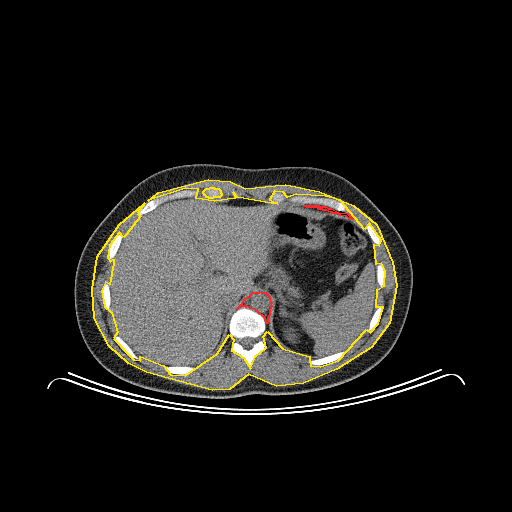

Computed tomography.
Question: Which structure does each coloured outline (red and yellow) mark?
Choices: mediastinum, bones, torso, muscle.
Answer: red: mediastinum; yellow: muscle.
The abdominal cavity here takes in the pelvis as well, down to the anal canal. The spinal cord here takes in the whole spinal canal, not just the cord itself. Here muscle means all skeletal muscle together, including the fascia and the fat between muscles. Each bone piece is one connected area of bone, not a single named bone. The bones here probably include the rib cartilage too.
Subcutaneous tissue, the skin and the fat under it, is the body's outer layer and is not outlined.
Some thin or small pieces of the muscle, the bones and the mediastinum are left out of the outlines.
The mediastinum appears in 2 outlined pieces: piece 1: 260,291 261,292 265,292 269,296 269,299 271,303 270,304 271,305 269,310 269,315 267,318 267,323 266,323 265,318 257,311 246,306 241,306 237,308 242,303 244,299 251,294 252,292 259,292; piece 2: 304,205 318,205 319,206 325,206 328,208 331,208 338,212 347,213 352,218 349,218 346,216 340,215 337,213 333,213 332,212 330,212 326,210 323,210 322,209 319,209 318,208 307,207 306,206 304,206. The muscle is outlined by 208,179 230,181 245,188 285,184 319,191 353,205 376,224 392,262 396,285 389,323 371,347 336,369 303,383 276,386 248,374 229,389 212,390 146,372 128,363 109,346 94,318 92,289 97,256 119,224 144,203 137,213 140,216 125,235 123,237 119,232 109,245 107,257 110,261 113,259 113,263 109,284 105,282 101,290 104,306 111,312 117,332 113,338 133,359 140,360 140,356 163,365 170,374 185,375 217,353 229,334 233,339 231,350 243,357 250,368 255,356 266,347 263,336 267,331 282,348 309,356 310,365 320,366 338,360 366,329 370,332 378,323 383,307 376,307 377,289 384,285 385,270 381,263 376,264 374,244 379,245 381,240 369,223 364,229 340,200 325,196 296,194 287,197 283,192 274,191 269,199 277,203 271,203 237,197 233,192 234,198 214,201 196,198 198,189 185,188 148,200 158,192, around a hole outlined by 210,187 213,187 214,188 218,188 220,190 220,192 221,193 221,195 219,197 213,197 212,198 209,198 208,197 206,197 206,196 205,195 204,195 204,194 203,193 203,191 206,188 209,188. The bones appear in 12 outlined pieces: piece 1: 241,307 249,308 260,314 264,318 266,324 266,330 262,336 262,339 265,344 265,347 254,356 252,359 250,367 248,367 246,359 239,353 233,351 231,348 231,345 234,339 229,333 229,322 232,314 237,309; inner edge: 245,337 251,337 252,338 254,338 256,340 255,341 255,342 251,346 251,347 250,348 245,348 240,343 240,340 242,338 244,338; piece 2: 274,192 283,193 287,198 290,196 298,195 307,197 325,197 326,198 335,199 340,201 346,207 347,212 338,211 331,207 318,204 298,204 297,203 288,202 287,200 279,203 274,202 270,199 270,195; piece 3: 185,189 187,190 198,190 199,192 196,197 192,196 191,197 178,197 174,199 169,199 166,201 164,201 151,211 149,211 142,215 138,214 139,211 146,202 152,199 158,198 163,195 168,195 174,192; piece 4: 344,350 345,351 345,353 338,359 334,361 332,361 325,364 321,364 320,365 313,365 312,364 310,364 308,362 308,360 310,359 317,359 318,358 321,358 322,357 328,356 329,355 331,355 337,352 343,351; piece 5: 164,366 192,366 193,367 194,367 194,369 192,371 191,371 190,372 189,372 188,373 186,373 185,374 176,374 175,373 170,373 169,372 168,372 167,371 166,371 164,369; piece 6: 115,335 118,335 131,348 131,349 132,350 133,350 133,351 139,357 139,358 140,359 136,359 135,358 133,358 131,356 130,356 128,354 127,354 118,345 118,344 116,342 116,341 114,338 114,336; piece 7: 119,233 122,234 122,238 121,239 121,241 120,242 119,247 118,248 118,249 117,250 114,257 110,260 108,257 108,252 109,251 109,248 110,247 110,245 111,244 113,239 115,237 115,236; piece 8: 379,306 381,306 382,307 382,312 381,313 381,315 380,316 380,317 379,318 377,323 375,325 375,326 370,331 369,331 367,329 367,328 368,327 368,325 369,324 369,322 374,313 374,311 376,309 376,308; piece 9: 105,283 107,283 109,285 109,293 110,294 110,308 111,309 111,310 110,311 108,311 107,310 107,309 106,308 106,307 105,306 105,304 104,303 104,301 103,300 103,293 102,292 102,290 103,289 103,285; piece 10: 210,187 213,187 214,188 218,188 220,190 220,192 221,193 221,195 219,197 213,197 212,198 209,198 208,197 206,197 206,196 205,195 204,195 204,194 203,193 203,191 206,188 209,188; piece 11: 379,263 380,264 381,264 382,265 382,266 383,267 383,269 384,270 384,280 383,281 383,285 381,287 380,287 378,285 378,283 377,282 377,274 376,273 376,266 377,265 377,264 378,264; piece 12: 366,224 369,224 375,230 375,231 377,233 377,234 379,237 379,239 380,240 380,242 379,243 379,244 375,244 374,243 373,243 373,242 372,241 370,236 368,234 368,232 367,231 367,229 366,228. The torso is outlined by 194,163 254,169 282,166 326,169 349,180 381,210 407,248 413,285 409,309 400,335 379,363 349,381 315,391 207,398 140,387 112,374 94,358 81,336 74,306 75,273 87,240 120,199 140,181 162,169. The abdominal cavity is outlined by 178,198 214,202 247,198 354,220 373,244 376,265 375,309 367,327 345,349 312,358 276,343 267,330 270,296 260,290 237,306 221,348 203,361 193,366 164,365 138,355 118,334 112,317 114,258 141,216. The spinal cord is outlined by 245,337 251,337 252,338 254,338 256,340 255,341 255,342 251,346 251,347 250,348 245,348 240,343 240,340 242,338 244,338.